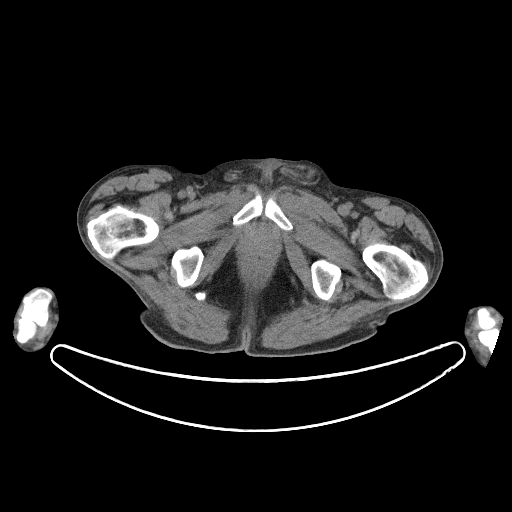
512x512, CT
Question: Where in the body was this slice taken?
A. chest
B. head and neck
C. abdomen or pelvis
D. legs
Answer: C. abdomen or pelvis
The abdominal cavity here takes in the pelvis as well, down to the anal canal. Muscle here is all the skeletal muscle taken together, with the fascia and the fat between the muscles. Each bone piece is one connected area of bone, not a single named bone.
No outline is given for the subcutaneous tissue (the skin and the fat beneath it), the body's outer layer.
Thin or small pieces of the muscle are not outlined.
The torso is outlined by [[266,157],[307,159],[338,185],[396,196],[419,208],[443,251],[435,285],[418,302],[392,313],[373,336],[334,351],[264,357],[160,342],[140,322],[144,304],[135,292],[82,243],[76,225],[81,198],[101,177],[129,164],[168,164],[203,173],[222,162]]. The left arm is outlined by [[483,304],[489,304],[494,306],[501,312],[503,319],[503,322],[499,331],[498,337],[494,346],[493,351],[489,356],[489,359],[484,367],[480,366],[474,359],[471,350],[464,337],[464,333],[463,332],[464,321],[466,317],[467,311],[471,307]]. The abdominal cavity is outlined by [[258,217],[260,219],[269,221],[276,228],[279,236],[279,244],[276,251],[276,254],[273,260],[267,268],[264,276],[256,285],[253,285],[250,284],[248,276],[246,273],[241,258],[240,252],[241,251],[241,245],[242,244],[242,240],[245,230]]. The bones appear in 8 outlined pieces: piece 1: [[117,204],[122,205],[135,212],[139,212],[151,216],[158,224],[159,232],[157,237],[151,242],[146,244],[125,247],[112,259],[109,259],[102,257],[93,248],[87,236],[87,227],[86,225],[90,219],[95,218],[100,214],[105,212],[109,208],[113,207]]; piece 2: [[374,243],[384,243],[385,244],[395,245],[403,249],[415,259],[422,262],[425,266],[428,277],[428,281],[425,286],[416,294],[407,298],[404,298],[401,300],[395,300],[387,297],[383,292],[382,284],[380,280],[365,264],[362,259],[362,250],[367,245]]; piece 3: [[37,288],[42,288],[48,290],[52,295],[51,300],[47,308],[48,311],[48,320],[46,325],[44,327],[38,326],[36,328],[35,334],[32,338],[29,339],[25,343],[20,343],[16,339],[17,319],[19,316],[18,312],[22,305],[22,300],[24,296]]; piece 4: [[258,192],[261,195],[262,202],[264,204],[270,196],[274,199],[292,224],[293,228],[291,230],[289,231],[280,228],[271,219],[268,218],[263,212],[259,216],[254,217],[249,221],[241,225],[235,226],[232,224],[232,217],[234,214],[244,204],[253,198]]; piece 5: [[194,245],[198,246],[201,249],[203,253],[203,260],[201,264],[201,267],[200,268],[197,279],[194,282],[194,283],[191,286],[181,287],[177,283],[177,281],[176,280],[176,274],[174,270],[171,267],[171,257],[173,253],[178,248],[188,248]]; piece 6: [[320,258],[323,258],[327,261],[331,262],[337,265],[341,270],[341,276],[340,277],[340,280],[337,283],[331,297],[328,300],[323,300],[317,297],[312,286],[312,281],[311,280],[311,269],[310,267],[311,266],[311,264],[315,260],[319,259]]; piece 7: [[481,307],[486,307],[488,308],[491,314],[498,320],[496,326],[499,331],[499,333],[493,351],[491,354],[490,354],[489,349],[485,345],[480,342],[477,335],[479,329],[477,326],[477,315],[476,312],[477,310]]; piece 8: [[199,290],[201,290],[202,291],[204,291],[205,292],[205,294],[206,295],[206,296],[205,297],[205,299],[204,299],[203,300],[198,300],[195,297],[195,295],[194,294],[195,293],[195,292],[196,291],[198,291]]. The muscle appears in 4 outlined pieces: piece 1: [[140,168],[169,170],[203,196],[252,183],[263,190],[292,184],[330,203],[395,199],[429,232],[432,276],[395,244],[367,244],[361,259],[383,294],[395,301],[416,295],[333,337],[268,348],[260,344],[262,330],[301,303],[303,287],[292,284],[284,251],[265,288],[247,297],[232,248],[206,285],[231,314],[228,339],[210,344],[186,337],[99,256],[112,260],[151,243],[160,232],[156,220],[117,203],[84,230],[96,189]] with holes at [[258,192],[264,204],[270,196],[274,199],[293,228],[289,231],[280,228],[263,212],[259,216],[260,219],[269,221],[276,228],[279,244],[264,276],[256,285],[253,285],[250,284],[240,252],[244,232],[257,218],[254,217],[235,226],[232,224],[232,217]] and at [[194,245],[198,246],[201,249],[203,253],[203,260],[201,264],[201,267],[200,268],[197,279],[194,282],[194,283],[191,286],[181,287],[177,283],[177,281],[176,280],[176,274],[174,270],[171,267],[171,257],[173,253],[178,248],[188,248]] and at [[320,258],[323,258],[327,261],[331,262],[337,265],[341,270],[341,276],[340,277],[340,280],[337,283],[331,297],[328,300],[323,300],[317,297],[312,286],[312,281],[311,280],[311,269],[310,267],[311,266],[311,264],[315,260],[319,259]] and at [[199,290],[201,290],[202,291],[204,291],[205,292],[205,294],[206,295],[206,296],[205,297],[205,299],[204,299],[203,300],[198,300],[195,297],[195,295],[194,294],[195,293],[195,292],[196,291],[198,291]]; piece 2: [[52,298],[54,301],[55,309],[56,310],[56,322],[52,331],[46,339],[43,341],[39,346],[37,347],[25,347],[22,344],[25,344],[35,336],[37,331],[37,328],[38,327],[44,328],[47,325],[49,320],[49,311],[48,310],[48,308],[52,300]]; piece 3: [[475,313],[476,315],[476,326],[478,329],[477,333],[476,334],[477,338],[479,342],[488,349],[488,351],[490,355],[489,356],[489,359],[487,359],[484,361],[481,359],[479,352],[472,343],[471,341],[471,338],[468,333],[468,328],[470,325],[472,317]]; piece 4: [[490,309],[494,311],[499,316],[500,318],[502,318],[503,319],[503,322],[502,323],[502,325],[501,326],[501,328],[500,330],[499,330],[497,326],[499,322],[499,320],[494,315],[492,314]]. The right arm is outlined by [[40,285],[47,286],[51,288],[54,291],[58,301],[59,321],[57,327],[55,329],[51,338],[49,340],[48,343],[44,347],[37,351],[27,352],[18,347],[16,343],[16,340],[12,332],[13,318],[15,312],[19,305],[19,303],[24,294],[31,288]].